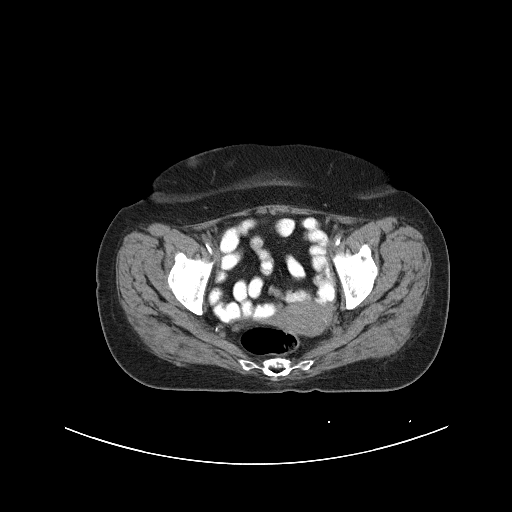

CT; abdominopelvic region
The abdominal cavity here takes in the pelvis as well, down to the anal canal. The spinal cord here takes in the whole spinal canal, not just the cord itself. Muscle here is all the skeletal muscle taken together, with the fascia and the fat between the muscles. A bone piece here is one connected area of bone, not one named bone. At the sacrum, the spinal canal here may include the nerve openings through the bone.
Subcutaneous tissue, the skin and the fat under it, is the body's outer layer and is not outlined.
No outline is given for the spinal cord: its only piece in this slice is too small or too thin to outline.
Outlined structures:
torso: 247,142 303,143 356,154 384,168 396,187 416,197 430,211 449,255 449,309 438,352 415,381 389,391 170,390 138,382 115,361 104,338 95,292 96,258 108,225 122,207 146,197 153,177 169,165 207,149
abdominal cavity: 266,213 316,215 326,219 330,227 331,260 341,286 339,308 333,318 330,335 319,340 300,356 291,359 280,356 254,359 234,343 219,325 207,319 206,314 205,292 214,264 212,259 218,255 217,232 235,217
muscle: 266,204 309,207 370,219 395,216 423,235 431,258 429,290 411,336 399,350 386,357 359,360 301,380 270,384 256,376 215,365 191,363 178,366 149,350 127,320 117,295 115,261 124,236 153,222 193,224; inner edge: 266,213 322,217 333,255 366,243 378,268 371,291 353,309 345,308 340,290 330,335 290,360 312,359 310,367 277,380 243,369 239,359 262,360 207,319 204,299 197,315 167,282 176,252 211,261 222,227
bones 1: 364,243 368,244 371,249 371,255 378,268 378,274 374,280 373,287 369,294 353,309 346,309 345,308 345,296 342,289 339,276 332,260 332,257 338,252 344,253 349,252 351,254 356,253 359,250 361,245
bones 2: 178,251 183,252 186,256 189,258 192,258 193,259 204,259 208,261 213,261 211,271 204,292 204,299 202,303 203,313 201,315 197,315 187,309 175,297 174,294 168,286 167,277 169,271 174,263 175,253
bones 3: 275,357 287,358 294,364 305,359 312,359 314,361 307,370 303,370 300,368 293,368 288,374 280,376 277,380 272,380 269,376 263,373 259,368 252,368 248,370 243,369 238,360 247,359 259,364 265,359